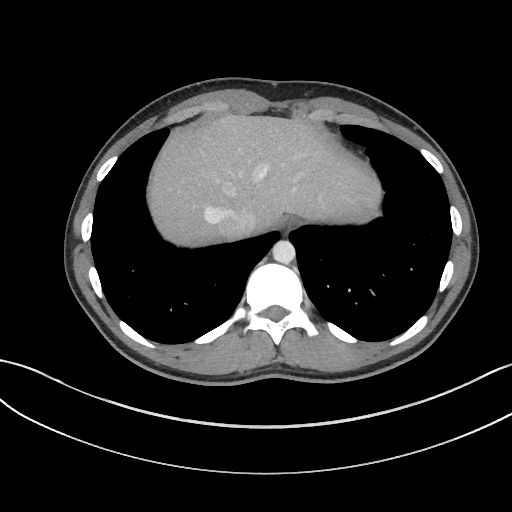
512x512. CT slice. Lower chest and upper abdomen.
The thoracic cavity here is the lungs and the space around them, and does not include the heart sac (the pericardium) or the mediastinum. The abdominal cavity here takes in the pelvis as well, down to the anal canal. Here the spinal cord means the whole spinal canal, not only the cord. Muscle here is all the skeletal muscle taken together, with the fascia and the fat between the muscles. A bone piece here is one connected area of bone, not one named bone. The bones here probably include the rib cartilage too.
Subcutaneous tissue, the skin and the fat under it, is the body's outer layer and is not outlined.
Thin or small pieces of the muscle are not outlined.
Outlines (x, y in pixels):
abdominal cavity: 182 248; 237 242; 267 233; 270 225; 285 212; 299 215; 314 225; 357 224; 380 208; 379 185; 369 164; 347 149; 339 136; 321 123; 277 108; 239 116; 204 111; 169 126; 169 136; 154 162; 145 190; 149 213; 158 233; 167 242
muscle: 218 376; 234 376; 247 374; 254 371; 255 369; 275 363; 286 363; 294 368; 301 370; 323 373; 334 373; 355 370; 389 358; 393 355; 411 348; 432 331; 452 304; 466 280; 470 267; 472 238; 469 214; 452 173; 442 157; 425 140; 408 128; 384 117; 379 116; 373 111; 363 106; 341 98; 331 96; 318 96; 317 97; 287 98; 282 100; 272 101; 256 92; 244 88; 227 88; 198 94; 188 98; 172 106; 165 112; 145 120; 111 146; 95 167; 88 181; 79 203; 78 209; 74 216; 71 230; 71 253; 72 254; 72 267; 76 282; 88 303; 109 329; 127 346; 139 354; 145 356; 158 364; 162 364; 177 370; 197 374, around a hole outlined by 150 348; 155 348; 150 340; 209 343; 243 319; 248 322; 243 333; 265 331; 275 345; 291 328; 316 336; 302 306; 303 285; 329 331; 344 342; 391 339; 394 346; 414 336; 452 276; 450 242; 462 228; 440 177; 442 165; 427 150; 384 132; 312 122; 277 108; 239 116; 204 111; 140 138; 97 172; 94 210; 82 221; 81 238; 91 242; 95 265; 88 277; 94 292; 107 299; 124 334
thoracic cavity 1: 372 342; 399 335; 431 304; 452 237; 449 203; 440 176; 417 150; 372 128; 341 126; 340 130; 347 139; 366 147; 370 165; 380 185; 381 208; 371 218; 357 225; 303 225; 289 234; 289 239; 296 249; 304 288; 321 315; 359 340
thoracic cavity 2: 166 344; 190 342; 225 321; 242 297; 250 270; 280 234; 272 231; 241 242; 202 249; 182 249; 163 240; 153 226; 144 198; 148 174; 169 133; 168 128; 163 128; 132 144; 100 183; 93 211; 90 241; 103 292; 113 310; 147 339
bones 1: 275 345; 291 328; 301 328; 309 337; 316 336; 318 331; 302 306; 302 286; 296 273; 285 266; 268 263; 258 267; 249 276; 244 304; 237 306; 225 322; 193 343; 209 343; 236 322; 245 319; 248 323; 243 333; 249 330; 265 331; inner edge: 275 321; 277 321; 278 320; 279 320; 287 313; 287 312; 283 308; 282 308; 279 306; 277 306; 276 305; 275 305; 274 306; 271 306; 270 307; 267 308; 263 312; 263 313; 262 314; 264 316; 266 316; 267 317; 268 317
bones 2: 390 346; 394 346; 397 344; 399 344; 400 343; 409 339; 411 337; 412 337; 416 334; 417 334; 426 325; 426 324; 428 321; 428 317; 426 315; 424 315; 423 316; 422 316; 406 331; 405 331; 399 336; 394 338; 389 343; 389 345
bones 3: 150 348; 155 348; 155 346; 152 343; 151 343; 148 340; 147 340; 141 335; 140 335; 137 332; 136 332; 122 320; 120 319; 118 321; 118 325; 120 329; 124 333; 124 334; 125 334; 132 340; 142 345; 144 345
bones 4: 347 343; 356 343; 358 341; 358 340; 354 337; 353 337; 351 335; 350 335; 348 333; 347 333; 345 331; 342 330; 331 322; 329 322; 327 321; 326 322; 326 325; 329 331; 335 337
bones 5: 100 299; 102 298; 104 298; 104 295; 102 292; 102 288; 101 287; 101 284; 100 283; 100 281; 99 280; 99 277; 96 271; 96 269; 94 266; 91 266; 88 270; 88 277; 89 278; 89 280; 90 281; 91 286; 94 292
bones 6: 438 292; 442 292; 444 291; 444 290; 446 288; 452 276; 452 274; 453 273; 453 263; 452 261; 450 260; 448 260; 447 261; 444 267; 444 269; 443 270; 443 272; 442 273; 442 275; 440 279; 440 282; 439 283; 439 287; 437 291
bones 7: 83 242; 88 242; 90 240; 90 236; 91 235; 91 228; 92 227; 92 221; 93 220; 93 215; 92 214; 92 212; 89 212; 85 216; 85 217; 83 219; 83 220; 82 221; 82 223; 81 224; 81 238; 82 239; 82 240; 83 241
bones 8: 455 236; 459 236; 461 233; 461 229; 462 228; 462 224; 461 223; 461 217; 460 216; 460 215; 459 214; 459 212; 457 210; 457 209; 453 205; 450 205; 450 216; 451 217; 451 225; 452 226; 452 231; 453 232; 453 235; 454 235
bones 9: 440 175; 443 173; 444 170; 443 169; 443 167; 442 166; 442 165; 437 159; 437 158; 434 155; 433 155; 427 150; 426 150; 423 148; 421 148; 420 149; 419 149; 418 150; 419 151; 419 152; 424 157; 424 158; 436 170; 436 171
bones 10: 99 183; 108 173; 108 172; 111 169; 111 168; 113 166; 113 165; 117 160; 117 159; 118 158; 118 156; 117 155; 115 155; 114 156; 111 157; 109 159; 108 159; 101 166; 101 167; 97 172; 97 174; 96 175; 96 181
mediastinum 1: 301 281; 301 276; 296 265; 295 249; 288 239; 288 234; 299 226; 308 223; 305 219; 299 216; 285 213; 280 219; 271 225; 268 231; 279 231; 281 234; 280 238; 266 255; 256 264; 249 275; 260 265; 268 262; 276 262; 294 270
mediastinum 2: 369 163; 369 158; 366 155; 364 151; 365 147; 363 147; 359 144; 353 143; 347 140; 341 134; 339 130; 339 126; 340 125; 330 121; 323 121; 320 122; 321 122; 330 131; 339 135; 341 138; 342 142; 347 148; 352 149; 358 156
torso: 200 387; 269 378; 328 384; 359 381; 415 358; 440 336; 475 278; 479 234; 457 170; 415 121; 376 97; 336 83; 220 77; 191 83; 156 98; 129 117; 105 142; 82 177; 67 216; 63 266; 68 285; 98 331; 123 357; 164 379
spinal cord: 275 321; 277 321; 278 320; 279 320; 287 313; 287 312; 283 308; 282 308; 279 306; 277 306; 276 305; 275 305; 274 306; 271 306; 270 307; 267 308; 263 312; 263 313; 262 314; 264 316; 266 316; 267 317; 268 317